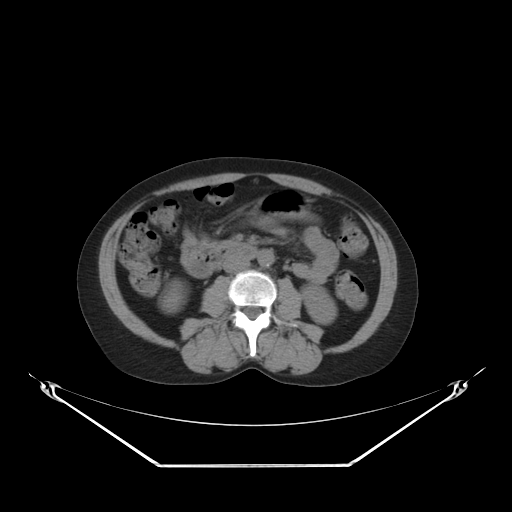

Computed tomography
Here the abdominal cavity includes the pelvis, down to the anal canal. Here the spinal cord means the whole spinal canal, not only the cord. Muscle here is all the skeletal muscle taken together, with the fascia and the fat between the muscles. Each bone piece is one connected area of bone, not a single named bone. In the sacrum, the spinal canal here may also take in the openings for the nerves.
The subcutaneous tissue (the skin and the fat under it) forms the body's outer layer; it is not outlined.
Outlined structures:
muscle: [[226,172],[239,172],[240,173],[248,173],[249,172],[281,173],[282,174],[294,175],[295,176],[299,176],[300,177],[310,179],[324,186],[331,188],[348,197],[370,213],[377,219],[385,228],[389,233],[389,235],[394,244],[396,259],[397,260],[397,286],[395,290],[393,302],[388,314],[374,333],[370,336],[365,342],[345,352],[325,354],[323,356],[322,360],[319,365],[313,371],[305,374],[291,375],[287,373],[288,372],[287,371],[272,372],[262,366],[257,361],[251,359],[248,359],[235,369],[228,372],[224,372],[220,370],[219,373],[203,374],[202,373],[194,372],[189,369],[183,362],[183,360],[179,352],[177,350],[173,348],[165,347],[150,342],[133,333],[127,328],[113,313],[109,307],[103,294],[100,285],[100,282],[99,281],[99,272],[98,271],[98,256],[99,255],[99,250],[101,246],[103,237],[106,233],[105,231],[109,226],[112,220],[121,211],[152,191],[160,189],[163,187],[168,186],[170,184],[179,182],[183,180],[187,180],[192,178],[207,176],[213,174],[225,173]] with a hole at [[250,176],[339,204],[366,225],[378,290],[349,339],[321,344],[324,330],[300,319],[287,276],[271,312],[297,326],[272,320],[253,357],[232,321],[226,275],[201,295],[199,311],[212,318],[187,317],[178,339],[126,303],[115,259],[130,215],[154,196]]
spinal cord: [[246,306],[253,306],[254,307],[261,307],[262,308],[262,311],[254,319],[250,319],[243,312],[243,311],[242,310],[242,308],[243,307],[245,307]]
torso: [[216,156],[279,158],[319,165],[356,182],[386,209],[414,256],[419,293],[411,330],[399,353],[387,366],[371,375],[332,386],[284,384],[256,369],[213,384],[172,385],[132,377],[106,359],[78,303],[76,270],[87,235],[104,212],[136,183],[175,165]]
bones: [[249,269],[267,274],[275,283],[277,295],[271,306],[271,312],[278,319],[297,325],[295,327],[284,323],[277,324],[272,320],[258,333],[256,354],[253,357],[249,355],[248,338],[245,332],[236,327],[232,321],[234,304],[228,296],[230,281],[237,273]]; inner edge: [[246,306],[253,306],[254,307],[261,307],[262,308],[262,311],[254,319],[250,319],[243,312],[243,311],[242,310],[242,308],[243,307],[245,307]]
abdominal cavity: [[250,176],[339,204],[366,225],[379,263],[378,290],[349,339],[323,346],[324,330],[300,319],[302,297],[290,278],[276,284],[253,268],[231,279],[218,275],[199,306],[212,318],[187,317],[178,339],[156,332],[126,303],[115,259],[130,215],[154,196]]